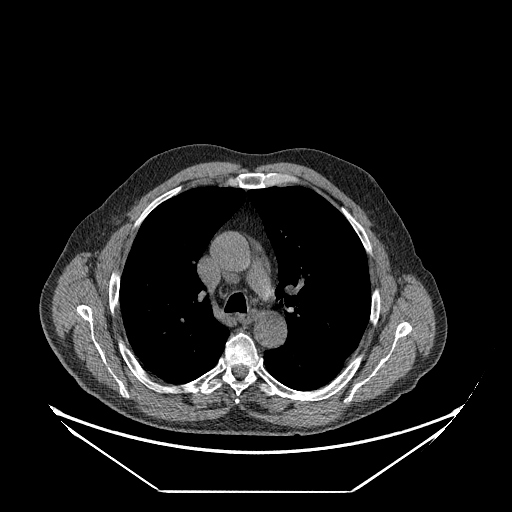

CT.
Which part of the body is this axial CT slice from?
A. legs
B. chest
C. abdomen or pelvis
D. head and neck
B. chest
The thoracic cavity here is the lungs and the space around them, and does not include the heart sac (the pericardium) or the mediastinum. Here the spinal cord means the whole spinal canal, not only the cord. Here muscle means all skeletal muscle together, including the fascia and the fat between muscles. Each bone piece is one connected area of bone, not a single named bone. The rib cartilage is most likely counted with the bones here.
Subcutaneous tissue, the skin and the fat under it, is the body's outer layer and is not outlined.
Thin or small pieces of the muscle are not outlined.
{"spinal_cord":[[[241,364],[242,365],[243,365],[244,366],[245,366],[247,368],[247,373],[245,375],[245,376],[243,378],[241,378],[240,379],[239,378],[237,378],[234,375],[234,374],[233,373],[233,368],[236,365],[240,365]]],"torso":[[[195,143],[246,153],[313,148],[347,160],[373,176],[402,219],[423,265],[433,275],[446,312],[443,351],[414,388],[382,409],[336,429],[310,435],[270,436],[157,428],[125,417],[80,387],[44,335],[39,318],[43,285],[74,228],[135,169],[155,154]]],"bones":[{"outer":[[241,331],[252,338],[266,370],[299,391],[327,385],[354,357],[364,355],[349,381],[319,400],[267,395],[258,381],[240,393],[237,404],[235,391],[225,382],[207,394],[160,393],[132,373],[119,351],[119,335],[152,378],[178,385],[214,367],[229,336]],"hole":[[241,364],[242,365],[243,365],[244,366],[245,366],[247,368],[247,373],[245,375],[245,376],[243,378],[241,378],[240,379],[239,378],[237,378],[234,375],[234,374],[233,373],[233,368],[236,365],[240,365]]},[[248,172],[286,173],[293,175],[298,178],[300,183],[299,184],[291,184],[284,186],[273,185],[262,188],[250,188],[249,189],[241,187],[228,186],[227,185],[226,186],[223,185],[222,183],[229,177],[234,177],[241,173],[247,173]],[[79,304],[84,304],[90,307],[92,312],[94,337],[103,351],[107,363],[126,387],[131,397],[130,398],[128,399],[124,398],[119,393],[119,386],[117,382],[108,371],[107,367],[103,362],[101,356],[91,338],[89,322],[84,319],[76,310],[76,307]],[[403,321],[409,322],[411,325],[411,331],[406,335],[400,337],[396,341],[390,356],[378,369],[376,373],[356,390],[352,399],[348,403],[344,403],[343,399],[349,394],[353,386],[366,378],[373,371],[380,360],[388,353],[394,340],[395,330],[398,324]],[[179,185],[182,185],[182,190],[180,192],[170,197],[168,199],[163,201],[157,206],[156,206],[142,221],[138,229],[136,231],[135,230],[133,230],[133,225],[134,224],[134,222],[140,215],[146,206],[151,201],[166,191],[172,188],[174,188]],[[339,206],[343,206],[362,225],[362,226],[364,228],[367,234],[367,236],[371,243],[372,256],[369,256],[366,253],[364,249],[364,247],[359,237],[357,235],[356,232],[354,230],[354,229],[352,227],[348,220],[345,217],[345,216],[338,209],[338,207]],[[114,270],[119,270],[121,272],[121,273],[120,274],[120,279],[119,280],[119,291],[118,292],[118,302],[119,303],[119,311],[116,311],[115,312],[115,315],[113,317],[111,315],[110,309],[109,308],[109,279],[110,278],[110,276],[111,275],[112,271]],[[376,287],[377,287],[379,289],[379,294],[380,295],[380,310],[379,311],[379,317],[377,320],[376,325],[374,327],[373,327],[372,326],[372,325],[369,322],[369,318],[370,317],[370,312],[371,311],[371,296],[372,295],[372,291],[373,290],[373,289]]],"thoracic_cavity":[[[300,184],[323,196],[347,220],[367,256],[371,289],[368,324],[353,357],[331,381],[312,390],[299,390],[284,384],[264,365],[264,352],[283,346],[287,339],[287,310],[284,305],[278,305],[276,297],[279,283],[276,255],[263,222],[247,193],[250,189]],[[208,184],[241,188],[245,192],[245,199],[241,206],[216,230],[195,264],[196,273],[213,300],[213,314],[228,328],[229,335],[223,353],[210,369],[184,383],[164,383],[150,375],[129,347],[120,314],[121,274],[136,233],[147,216],[160,204],[182,191]]],"mediastinum":[[[245,189],[249,201],[262,222],[275,255],[278,270],[275,297],[278,300],[277,305],[284,306],[286,310],[287,336],[283,345],[267,349],[262,355],[248,333],[241,330],[230,334],[229,328],[215,316],[214,300],[200,279],[196,264],[217,230],[244,203]]],"muscle":[{"outer":[[217,160],[235,162],[245,168],[253,169],[275,162],[291,162],[307,166],[323,175],[365,211],[383,243],[392,273],[396,277],[402,274],[414,275],[431,298],[436,333],[429,352],[416,368],[382,394],[365,401],[340,418],[311,427],[262,421],[248,416],[237,407],[215,419],[196,421],[160,419],[145,414],[116,396],[87,372],[58,335],[52,319],[52,297],[64,268],[78,253],[101,248],[125,213],[147,192],[188,166]],"holes":[[[248,172],[295,176],[336,208],[343,206],[371,243],[367,263],[370,288],[379,289],[379,317],[374,327],[368,323],[353,354],[364,353],[359,367],[327,398],[292,400],[267,395],[258,381],[240,393],[237,404],[235,391],[225,382],[207,394],[160,393],[132,373],[119,351],[117,338],[126,337],[120,312],[113,317],[110,312],[109,279],[112,271],[123,270],[137,232],[133,230],[136,219],[156,197],[179,185],[185,191]],[[79,304],[84,304],[90,307],[92,312],[94,337],[103,351],[107,363],[126,387],[131,397],[130,398],[128,399],[124,398],[119,393],[119,386],[117,382],[108,371],[107,367],[103,362],[101,356],[91,338],[89,322],[84,319],[76,310],[76,307]],[[403,321],[409,322],[411,325],[411,331],[406,335],[400,337],[396,341],[390,356],[378,369],[376,373],[356,390],[352,399],[348,403],[344,403],[343,399],[349,394],[353,386],[366,378],[373,371],[380,360],[388,353],[394,340],[395,330],[398,324]]]}]}